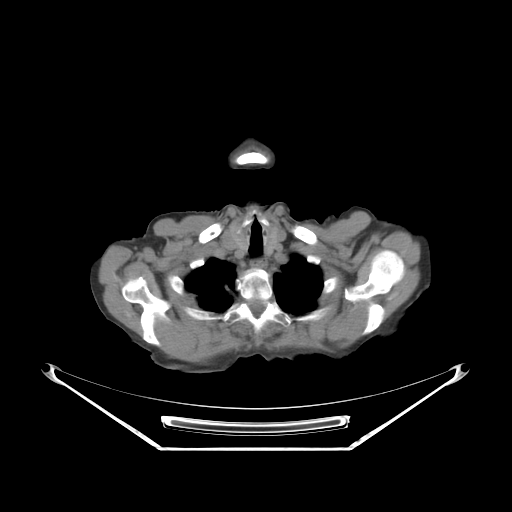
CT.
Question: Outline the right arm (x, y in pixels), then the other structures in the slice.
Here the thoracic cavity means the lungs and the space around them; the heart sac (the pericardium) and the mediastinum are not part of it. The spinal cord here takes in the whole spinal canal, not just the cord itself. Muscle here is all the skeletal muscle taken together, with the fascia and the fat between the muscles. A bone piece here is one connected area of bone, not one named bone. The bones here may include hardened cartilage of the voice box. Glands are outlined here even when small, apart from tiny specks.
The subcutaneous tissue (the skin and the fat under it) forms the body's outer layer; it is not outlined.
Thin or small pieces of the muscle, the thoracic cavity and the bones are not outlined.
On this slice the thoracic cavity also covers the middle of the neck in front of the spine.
Answer: The right arm is outlined by 144 232; 148 236; 150 240; 151 255; 148 263; 143 269; 139 277; 130 286; 120 290; 109 291; 108 292; 99 292; 98 293; 91 292; 89 284; 90 266; 92 262; 102 253; 106 246; 110 242; 114 240; 127 239; 134 236; 140 236. The spinal cord is outlined by 251 300; 259 300; 260 301; 261 301; 263 303; 263 304; 264 305; 264 308; 263 309; 263 310; 262 311; 262 312; 258 316; 255 316; 253 314; 253 313; 251 311; 251 310; 250 309; 250 307; 249 306; 249 304; 248 303; 248 302. The bones appear in 12 outlined pieces: piece 1: 252 267; 271 273; 275 299; 284 311; 298 316; 317 308; 329 307; 325 315; 316 320; 293 320; 289 325; 268 321; 258 333; 246 319; 229 325; 221 319; 195 319; 189 316; 184 306; 218 313; 225 311; 238 297; 235 290; 238 274; inner edge: 251 300; 259 300; 260 301; 261 301; 263 303; 263 304; 264 305; 264 308; 263 309; 263 310; 262 311; 262 312; 258 316; 255 316; 253 314; 253 313; 251 311; 251 310; 250 309; 250 307; 249 306; 249 304; 248 303; 248 302; piece 2: 382 249; 393 250; 401 257; 405 266; 405 273; 402 279; 394 284; 388 292; 383 294; 377 294; 368 300; 359 300; 356 302; 352 302; 346 299; 344 296; 345 288; 354 285; 362 284; 368 279; 370 270; 370 262; 373 256; 379 250; piece 3: 138 276; 142 276; 145 279; 149 290; 155 296; 165 299; 171 305; 165 312; 170 320; 167 321; 157 317; 154 322; 154 333; 160 343; 159 346; 150 344; 142 338; 140 317; 143 309; 138 303; 127 301; 121 292; 122 286; 128 279; piece 4: 370 302; 377 303; 381 305; 384 308; 385 310; 385 313; 384 314; 384 318; 382 322; 377 328; 376 328; 373 331; 365 335; 362 335; 362 331; 364 329; 366 325; 366 322; 367 321; 367 314; 368 313; 367 308; piece 5: 245 152; 260 152; 264 155; 265 155; 267 157; 268 157; 268 158; 269 159; 269 161; 265 164; 261 164; 260 163; 246 163; 245 164; 237 164; 234 161; 235 158; 240 154; 241 154; 242 153; 244 153; piece 6: 294 225; 301 225; 313 231; 315 233; 317 237; 317 242; 315 244; 313 245; 311 245; 310 244; 308 244; 306 243; 304 241; 296 237; 291 232; 291 228; piece 7: 216 222; 219 222; 222 225; 222 230; 221 231; 221 232; 216 237; 211 239; 209 241; 208 241; 205 243; 200 243; 198 241; 198 235; 200 233; 200 232; 202 230; 203 230; 205 228; 206 228; 211 224; 212 224; 213 223; 215 223; piece 8: 172 274; 175 274; 176 275; 177 275; 179 277; 180 277; 183 280; 183 282; 184 283; 184 289; 185 290; 185 291; 183 294; 179 294; 177 292; 176 292; 170 286; 170 285; 168 282; 168 280; 167 279; 167 278; 169 275; 171 275; piece 9: 333 276; 335 276; 337 277; 337 279; 338 280; 337 281; 337 284; 335 288; 332 291; 328 293; 322 293; 321 292; 322 291; 322 288; 323 287; 323 282; 324 280; 325 279; 327 279; piece 10: 200 257; 202 257; 204 259; 204 260; 205 261; 204 262; 204 263; 201 266; 199 266; 198 267; 197 267; 194 269; 191 269; 189 266; 189 264; 190 263; 190 262; 192 260; 193 260; 194 259; 196 259; 197 258; 199 258; piece 11: 253 210; 255 210; 256 211; 256 213; 253 213; 252 214; 253 215; 253 216; 251 219; 251 221; 246 225; 245 225; 244 226; 242 226; 242 223; 243 222; 244 219; 246 217; 246 215; 247 214; 247 213; 248 212; 250 212; piece 12: 310 254; 311 255; 314 255; 315 256; 317 256; 318 257; 319 257; 320 258; 320 261; 319 262; 319 263; 318 264; 314 264; 313 263; 311 263; 310 262; 308 262; 307 261; 307 260; 306 259; 306 257; 307 256; 307 255; 309 255. The torso appears in 2 outlined pieces: piece 1: 246 200; 284 201; 299 220; 321 221; 353 205; 371 210; 358 246; 362 267; 389 293; 419 297; 399 328; 341 360; 315 355; 269 362; 255 355; 212 373; 154 364; 103 316; 92 293; 120 291; 140 277; 152 255; 145 230; 154 216; piece 2: 247 135; 253 135; 257 137; 275 151; 275 153; 277 156; 277 161; 275 165; 272 168; 270 169; 250 169; 249 170; 248 169; 247 170; 238 170; 237 169; 230 169; 226 166; 225 159; 227 154; 240 141; 240 140; 242 139; 242 138. The thyroid glands appear in 2 outlined pieces: piece 1: 236 220; 240 222; 241 224; 241 226; 242 227; 242 231; 243 232; 243 235; 244 236; 244 239; 245 240; 245 248; 244 250; 241 248; 239 248; 238 245; 232 239; 231 237; 231 234; 229 231; 230 230; 230 226; 231 224; 234 221; piece 2: 274 226; 275 226; 277 228; 277 229; 278 230; 278 237; 277 238; 277 241; 275 244; 275 246; 274 247; 273 250; 271 252; 271 253; 270 253; 269 254; 267 252; 267 236; 268 235; 268 232; 269 232; 270 231; 271 228. The left arm is outlined by 375 215; 380 218; 383 218; 393 222; 403 224; 414 231; 423 232; 427 236; 430 248; 432 279; 429 287; 420 296; 404 296; 403 295; 393 294; 389 292; 382 287; 363 267; 359 254; 359 246; 367 227; 369 225; 372 218. The thoracic cavity is outlined by 257 212; 263 225; 274 225; 266 236; 269 255; 278 226; 289 247; 321 270; 316 308; 298 315; 284 310; 272 273; 257 266; 237 274; 237 297; 220 312; 201 308; 185 289; 184 279; 214 253; 225 231; 245 250; 243 227. The muscle appears in 2 outlined pieces: piece 1: 251 205; 265 209; 280 205; 292 222; 320 226; 357 210; 366 212; 371 228; 403 230; 419 240; 419 284; 383 322; 385 308; 370 301; 363 336; 345 348; 252 349; 205 364; 167 357; 157 347; 161 343; 154 327; 157 318; 171 320; 166 313; 171 303; 155 295; 142 275; 124 282; 122 297; 142 309; 141 338; 104 305; 97 275; 102 258; 115 244; 151 244; 153 225; 162 218; 216 216; inner edges: 253 210; 283 228; 294 252; 305 258; 310 254; 319 257; 317 265; 324 280; 337 277; 332 291; 320 293; 316 307; 329 307; 321 318; 293 320; 289 325; 268 321; 255 333; 246 319; 229 325; 221 319; 195 319; 184 311; 184 306; 201 307; 196 295; 186 289; 183 294; 176 292; 170 286; 168 276; 175 274; 183 280; 192 270; 190 262; 200 257; 207 260; 231 224; 236 220; 241 224, then 382 249; 393 250; 401 257; 405 266; 405 273; 402 279; 394 284; 388 292; 383 294; 377 294; 368 300; 359 300; 356 302; 352 302; 346 299; 344 296; 345 288; 354 285; 362 284; 368 279; 370 270; 370 262; 373 256; 379 250, then 294 225; 301 225; 313 231; 315 233; 317 237; 317 242; 315 244; 313 245; 311 245; 310 244; 308 244; 306 243; 304 241; 296 237; 291 232; 291 228, then 216 222; 219 222; 222 225; 222 230; 221 231; 221 232; 216 237; 211 239; 209 241; 208 241; 205 243; 200 243; 198 241; 198 235; 200 233; 200 232; 202 230; 203 230; 205 228; 206 228; 211 224; 212 224; 213 223; 215 223; piece 2: 248 144; 255 144; 265 149; 269 153; 271 157; 271 161; 269 163; 268 163; 270 161; 269 157; 260 151; 245 151; 244 152; 240 153; 234 158; 233 161; 236 164; 236 165; 233 164; 232 163; 232 158; 234 154; 240 148.